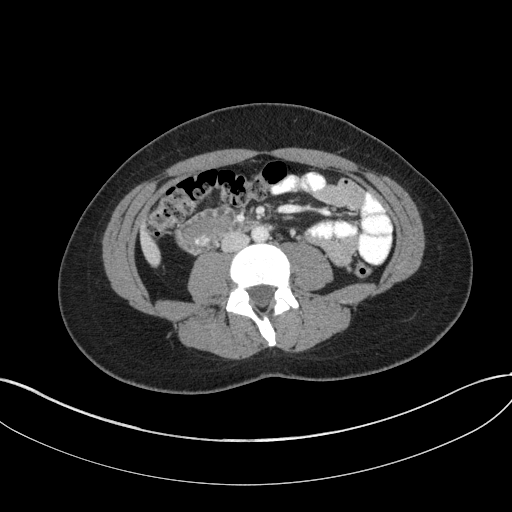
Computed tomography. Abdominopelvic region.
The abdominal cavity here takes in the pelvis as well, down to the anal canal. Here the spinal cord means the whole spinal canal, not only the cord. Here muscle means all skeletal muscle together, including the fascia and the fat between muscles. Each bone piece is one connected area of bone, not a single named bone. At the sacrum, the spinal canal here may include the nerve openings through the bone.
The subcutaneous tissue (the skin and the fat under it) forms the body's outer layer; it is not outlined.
Outlines:
bones: (269, 346) (275, 345) (275, 332) (268, 312) (271, 309) (273, 315) (277, 315) (290, 308) (297, 308) (299, 305) (291, 289) (289, 281) (290, 263) (285, 253) (281, 248) (270, 243) (253, 243) (244, 247) (232, 257) (229, 274) (236, 286) (229, 292) (226, 310) (251, 318); inner edge: (258, 307) (265, 307) (271, 301) (272, 299) (272, 296) (273, 295) (273, 293) (275, 290) (275, 287) (273, 286) (270, 286) (269, 285) (258, 285) (257, 286) (252, 286) (251, 287) (249, 287) (247, 289) (247, 291) (251, 298) (251, 302) (254, 305)
torso: (176, 394) (213, 393) (266, 377) (309, 381) (359, 377) (390, 369) (427, 351) (461, 315) (473, 278) (470, 242) (447, 198) (379, 138) (341, 117) (300, 104) (251, 102) (214, 109) (139, 148) (110, 175) (80, 215) (60, 261) (58, 307) (72, 341) (100, 370) (142, 389)
abdominal cavity: (152, 301) (192, 301) (186, 282) (200, 254) (214, 249) (232, 256) (253, 242) (280, 247) (285, 241) (304, 241) (319, 249) (334, 272) (324, 292) (356, 282) (377, 283) (393, 252) (394, 225) (375, 188) (331, 167) (258, 155) (168, 177) (158, 184) (136, 238) (136, 265)
spinal cord: (258, 307) (265, 307) (271, 301) (272, 299) (272, 296) (273, 295) (273, 293) (275, 290) (275, 287) (273, 286) (270, 286) (269, 285) (258, 285) (257, 286) (252, 286) (251, 287) (249, 287) (247, 289) (247, 291) (251, 298) (251, 302) (254, 305)
muscle: (234, 360) (268, 347) (290, 353) (307, 350) (345, 330) (360, 302) (386, 291) (418, 269) (425, 247) (423, 224) (415, 203) (397, 182) (327, 151) (227, 148) (181, 160) (136, 185) (120, 200) (102, 238) (102, 260) (111, 287) (135, 309) (170, 321) (185, 346), around a hole outlined by (269, 346) (275, 345) (275, 332) (268, 312) (271, 309) (273, 315) (277, 315) (299, 306) (289, 281) (290, 263) (280, 245) (285, 241) (304, 241) (326, 256) (334, 278) (324, 292) (356, 282) (377, 283) (395, 244) (394, 225) (381, 195) (375, 188) (334, 168) (270, 155) (162, 180) (147, 206) (135, 246) (136, 265) (150, 299) (192, 301) (186, 282) (194, 260) (212, 249) (230, 254) (229, 274) (236, 286) (229, 292) (226, 310) (251, 318)